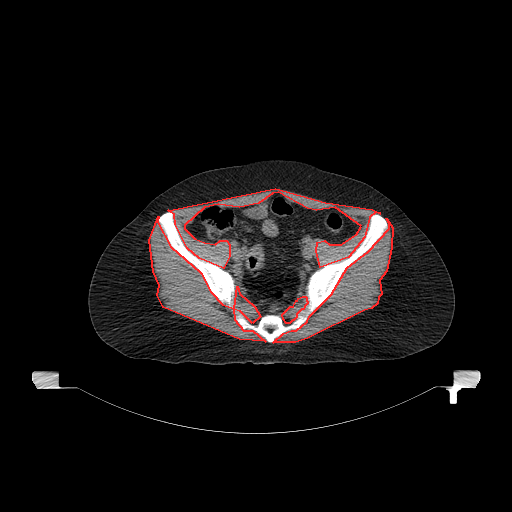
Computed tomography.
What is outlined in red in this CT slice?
red: muscle.
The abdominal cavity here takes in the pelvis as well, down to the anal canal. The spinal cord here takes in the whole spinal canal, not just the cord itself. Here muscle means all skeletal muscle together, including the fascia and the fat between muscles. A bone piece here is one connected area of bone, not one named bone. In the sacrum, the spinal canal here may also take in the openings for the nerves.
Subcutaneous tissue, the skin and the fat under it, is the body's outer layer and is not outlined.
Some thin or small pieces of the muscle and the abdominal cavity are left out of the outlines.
The muscle appears in 4 outlined pieces: piece 1: 158,216 157,222 170,246 200,272 210,291 222,304 234,308 237,286 239,293 254,306 260,316 252,323 240,311 233,309 234,319 243,330 252,330 265,341 239,339 163,307 157,295 159,285 153,271 149,240; piece 2: 386,218 392,227 391,247 386,271 379,280 381,294 378,297 377,303 371,308 364,310 307,338 295,342 273,342 283,333 291,330 296,330 307,321 309,316 331,294 347,267 368,251 389,228 389,224; piece 3: 275,188 325,202 372,209 380,213 375,212 369,217 364,237 348,257 320,267 316,251 317,242 324,240 329,244 341,244 356,234 361,226 335,207 316,210 307,208 278,192 272,193 258,203 239,207 218,204 204,207 184,225 184,228 194,238 204,242 215,244 220,240 226,240 229,244 229,256 223,268 199,258 187,248 175,224 174,214 168,210; piece 4: 302,296 305,296 306,297 306,300 307,301 307,303 304,306 303,309 301,309 296,314 296,317 293,320 292,320 289,323 286,323 283,319 282,314 290,306 293,306 296,300 297,300 298,298. The bones appear in 2 outlined pieces: piece 1: 375,213 385,218 388,228 346,267 330,294 298,328 287,330 268,342 256,331 241,327 233,310 240,312 252,324 265,314 277,314 286,324 293,321 308,303 305,293 311,274 326,264 348,258 365,237 370,217; piece 2: 166,211 172,212 173,221 179,236 186,248 192,254 203,261 211,262 219,266 232,276 235,285 235,292 232,300 233,308 230,308 225,303 222,303 211,291 201,272 171,246 166,234 158,222 159,216. The spinal cord is outlined by 267,327 268,327 269,327 270,327 271,327 272,327 273,327 274,328 273,329 272,330 271,331 270,331 269,331 268,330 267,329 266,328. The torso is outlined by 267,159 303,161 363,181 392,200 423,231 440,254 451,277 455,294 455,309 451,324 438,343 399,359 353,363 247,362 216,365 131,358 100,339 89,316 88,290 97,261 114,235 157,195 191,175 209,169. The abdominal cavity is outlined by 274,193 307,209 335,208 360,226 341,243 319,239 315,244 319,267 308,277 304,295 281,315 265,313 261,316 240,293 233,276 224,269 230,256 227,240 211,243 198,239 185,225 210,205 239,208 263,202.